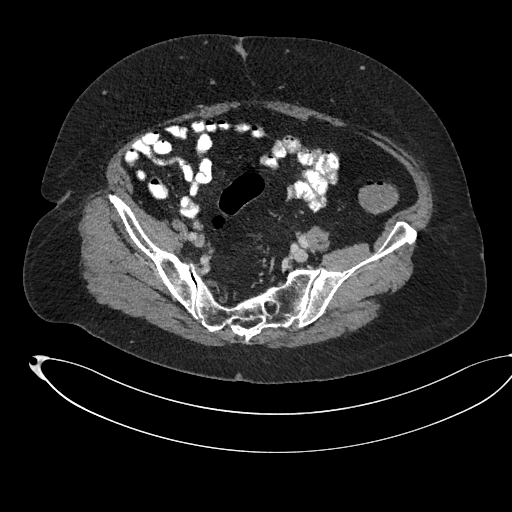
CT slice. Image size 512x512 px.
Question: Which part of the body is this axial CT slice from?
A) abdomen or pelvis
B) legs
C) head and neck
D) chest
Answer: A) abdomen or pelvis
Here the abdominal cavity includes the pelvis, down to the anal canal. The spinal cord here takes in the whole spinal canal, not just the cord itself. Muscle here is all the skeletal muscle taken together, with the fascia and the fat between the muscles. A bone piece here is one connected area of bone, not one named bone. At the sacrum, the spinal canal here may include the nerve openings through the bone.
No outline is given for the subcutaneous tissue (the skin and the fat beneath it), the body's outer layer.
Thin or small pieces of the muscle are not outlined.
{"bones":[{"outer":[[109,193],[129,206],[159,248],[191,262],[226,307],[282,284],[295,269],[343,271],[354,266],[380,247],[398,220],[410,224],[417,237],[413,244],[356,269],[313,322],[301,328],[266,327],[246,343],[227,325],[209,331],[172,296],[154,262],[130,237]],"hole":[[255,320],[258,320],[257,321],[257,322],[255,324],[254,324],[253,325],[252,325],[251,326],[250,326],[249,327],[245,327],[244,326],[243,326],[242,325],[241,325],[240,324],[240,322],[246,322],[247,321],[254,321]]}],"torso":[[[197,33],[332,41],[385,64],[426,99],[458,153],[483,238],[486,297],[469,329],[371,371],[323,381],[260,384],[164,367],[76,325],[46,321],[32,310],[23,290],[24,254],[32,228],[55,205],[43,197],[40,185],[67,112],[97,76],[126,55]]],"muscle":[[[253,99],[307,107],[388,137],[432,180],[432,216],[418,234],[398,219],[369,256],[343,270],[327,269],[319,266],[324,253],[314,251],[308,241],[312,228],[328,233],[326,253],[362,242],[371,248],[386,221],[416,201],[415,182],[396,157],[326,120],[304,120],[262,105],[166,123],[134,141],[123,153],[122,164],[131,181],[130,195],[141,208],[177,233],[173,221],[185,225],[179,254],[152,241],[117,194],[106,197],[171,296],[209,332],[227,326],[248,344],[266,328],[301,329],[313,323],[356,270],[405,244],[417,243],[410,278],[383,296],[378,316],[369,323],[296,347],[208,346],[98,303],[83,283],[77,228],[85,197],[104,184],[113,149],[142,129],[200,105]]],"spinal_cord":[[[255,320],[258,320],[257,321],[257,322],[255,324],[254,324],[253,325],[252,325],[251,326],[250,326],[249,327],[245,327],[244,326],[243,326],[242,325],[241,325],[240,324],[240,322],[246,322],[247,321],[254,321]],[[269,302],[270,302],[271,303],[272,303],[272,304],[273,305],[273,306],[272,307],[272,308],[271,308],[270,309],[269,309],[268,308],[267,308],[267,307],[266,306],[266,305],[267,304],[267,303],[268,303]]],"abdominal_cavity":[[[240,106],[313,117],[380,146],[405,167],[417,197],[385,221],[371,247],[362,241],[326,252],[329,233],[312,227],[307,241],[323,253],[317,267],[295,268],[282,283],[226,306],[178,256],[186,225],[175,218],[177,232],[133,199],[123,155],[158,127]]]}